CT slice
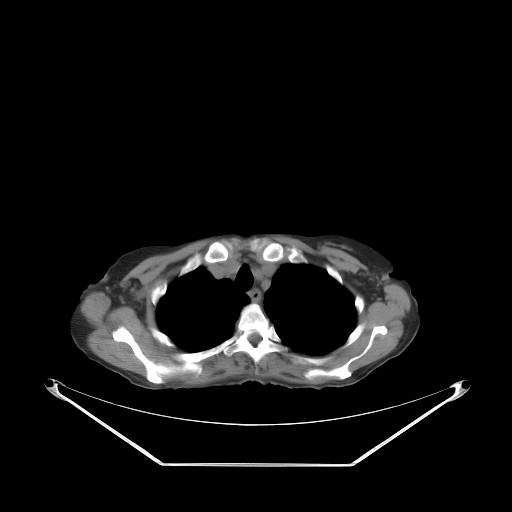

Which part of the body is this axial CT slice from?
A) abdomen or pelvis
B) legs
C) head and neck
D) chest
D) chest
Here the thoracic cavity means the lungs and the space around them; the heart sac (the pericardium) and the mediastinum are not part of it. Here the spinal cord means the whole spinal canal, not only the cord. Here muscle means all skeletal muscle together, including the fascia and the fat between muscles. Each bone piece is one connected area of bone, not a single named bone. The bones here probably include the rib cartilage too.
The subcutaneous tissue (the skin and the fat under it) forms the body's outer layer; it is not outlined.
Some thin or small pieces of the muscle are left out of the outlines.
The bones appear in 9 outlined pieces: piece 1: (251, 302) (260, 306) (288, 348) (267, 353) (256, 364) (245, 352) (230, 356) (220, 352) (200, 361) (198, 375) (179, 372) (165, 375) (163, 383) (153, 383) (131, 347) (112, 336) (113, 330) (124, 326) (147, 358) (180, 365) (174, 354) (207, 350) (228, 339) (242, 308) with a hole at (253, 333) (257, 333) (261, 337) (261, 339) (256, 344) (256, 345) (254, 345) (253, 344) (252, 344) (249, 341) (249, 340) (248, 339) (248, 337) (251, 334) (252, 334); piece 2: (376, 325) (384, 325) (387, 332) (377, 333) (369, 349) (349, 364) (348, 369) (352, 373) (349, 377) (338, 379) (334, 376) (317, 376) (308, 379) (304, 373) (316, 366) (295, 362) (293, 359) (295, 355) (329, 356) (330, 359) (320, 366) (322, 369) (341, 366) (365, 348); piece 3: (256, 237) (261, 239) (263, 238) (267, 242) (270, 241) (278, 242) (285, 248) (289, 248) (293, 246) (296, 247) (302, 252) (307, 260) (307, 263) (292, 263) (289, 262) (286, 258) (278, 261) (265, 261) (262, 258) (260, 250) (252, 251) (247, 247) (248, 241) (250, 239); piece 4: (214, 241) (220, 241) (223, 243) (227, 242) (232, 243) (233, 247) (231, 249) (230, 248) (229, 249) (227, 259) (225, 261) (214, 262) (213, 263) (205, 263) (203, 262) (195, 269) (179, 276) (180, 270) (187, 260) (196, 253) (199, 253) (202, 255) (207, 250) (209, 245); piece 5: (164, 281) (166, 281) (166, 282) (167, 283) (167, 288) (166, 289) (166, 291) (165, 292) (165, 293) (159, 299) (159, 300) (158, 301) (157, 304) (155, 306) (152, 303) (152, 302) (151, 301) (151, 292) (152, 291) (152, 290) (157, 285) (158, 285) (159, 284) (162, 283); piece 6: (359, 323) (364, 323) (365, 324) (365, 326) (364, 327) (362, 332) (356, 340) (355, 340) (351, 344) (350, 344) (348, 346) (347, 346) (346, 347) (344, 347) (343, 346) (343, 345) (346, 341) (349, 334) (355, 328) (355, 327); piece 7: (152, 327) (154, 327) (155, 328) (157, 328) (160, 331) (161, 331) (163, 333) (164, 333) (171, 340) (171, 341) (174, 343) (174, 344) (175, 345) (174, 346) (168, 346) (167, 345) (166, 345) (163, 343) (161, 343) (152, 335) (152, 333) (151, 332) (151, 328); piece 8: (326, 264) (329, 264) (332, 267) (333, 267) (340, 274) (340, 275) (341, 276) (341, 277) (342, 278) (342, 279) (343, 280) (343, 284) (341, 284) (337, 280) (336, 280) (333, 277) (332, 277) (327, 272) (327, 271) (325, 269) (325, 265); piece 9: (357, 294) (358, 294) (359, 295) (360, 295) (363, 298) (363, 299) (364, 300) (364, 307) (363, 308) (363, 309) (362, 310) (362, 311) (359, 314) (357, 312) (357, 310) (356, 309) (356, 308) (355, 307) (355, 305) (354, 304) (354, 301) (355, 300) (355, 296). The mediastinum is outlined by (240, 256) (250, 257) (258, 262) (283, 264) (280, 266) (273, 275) (271, 279) (271, 284) (269, 288) (264, 293) (263, 310) (257, 302) (254, 301) (250, 302) (250, 299) (246, 294) (237, 291) (229, 279) (227, 278) (216, 279) (202, 265) (219, 264) (232, 260). The thoracic cavity appears in 2 outlined pieces: piece 1: (288, 263) (311, 264) (324, 269) (332, 278) (341, 285) (343, 285) (354, 298) (353, 304) (357, 313) (356, 325) (348, 334) (343, 344) (323, 356) (309, 356) (300, 353) (283, 344) (275, 327) (264, 312) (265, 293) (270, 288) (272, 284) (272, 279) (276, 272) (281, 266); piece 2: (201, 265) (216, 280) (229, 280) (233, 288) (237, 292) (242, 293) (248, 297) (249, 302) (241, 308) (235, 322) (234, 331) (228, 338) (207, 349) (199, 351) (184, 351) (159, 329) (156, 317) (156, 306) (160, 299) (166, 293) (168, 285) (170, 283) (176, 278) (195, 270). The spinal cord is outlined by (253, 333) (257, 333) (261, 337) (261, 339) (256, 344) (256, 345) (254, 345) (253, 344) (252, 344) (249, 341) (249, 340) (248, 339) (248, 337) (251, 334) (252, 334). The torso is outlined by (229, 232) (335, 233) (371, 245) (391, 260) (391, 275) (411, 286) (421, 314) (415, 337) (399, 355) (363, 379) (342, 387) (290, 389) (248, 381) (204, 389) (155, 390) (132, 384) (76, 347) (69, 331) (69, 318) (81, 290) (100, 279) (120, 255) (138, 247) (175, 245). The muscle appears in 3 outlined pieces: piece 1: (222, 237) (252, 238) (247, 241) (246, 247) (252, 252) (260, 251) (265, 262) (278, 262) (284, 259) (288, 262) (264, 262) (246, 255) (227, 260) (230, 249) (234, 247) (233, 243) (214, 240) (202, 254) (196, 252) (190, 256) (181, 266) (178, 276) (171, 282) (168, 284) (164, 280) (157, 284) (150, 292) (150, 301) (155, 307) (158, 328) (152, 326) (150, 332) (161, 344) (168, 347) (177, 346) (183, 350) (172, 355) (180, 364) (155, 362) (147, 357) (124, 325) (113, 329) (111, 336) (114, 341) (130, 347) (144, 367) (145, 378) (105, 361) (89, 349) (86, 336) (90, 329) (80, 310) (83, 300) (89, 293) (102, 291) (117, 304) (138, 307) (138, 301) (121, 284) (121, 280) (132, 268) (150, 256) (172, 252) (197, 241); piece 2: (272, 235) (292, 237) (310, 246) (325, 245) (339, 248) (354, 256) (368, 269) (368, 273) (360, 277) (358, 287) (364, 297) (371, 301) (377, 299) (385, 284) (397, 283) (402, 286) (408, 294) (411, 305) (404, 334) (396, 347) (353, 373) (349, 369) (353, 361) (362, 357) (370, 349) (377, 334) (385, 335) (388, 332) (384, 324) (376, 324) (371, 329) (366, 345) (358, 354) (341, 365) (329, 369) (322, 368) (321, 366) (331, 359) (327, 354) (342, 345) (344, 348) (348, 347) (363, 332) (366, 324) (364, 322) (357, 324) (357, 316) (363, 311) (365, 300) (358, 293) (354, 297) (344, 285) (341, 274) (329, 263) (326, 263) (324, 268) (308, 263) (303, 252) (296, 246) (285, 247) (278, 241) (267, 241) (263, 237) (257, 237); piece 3: (289, 348) (302, 354) (293, 356) (295, 363) (315, 366) (303, 373) (306, 379) (334, 377) (338, 380) (295, 383) (243, 375) (199, 385) (179, 381) (164, 383) (165, 376) (186, 372) (200, 375) (201, 361) (220, 353) (230, 357) (242, 352) (256, 365) (265, 355) (283, 353).